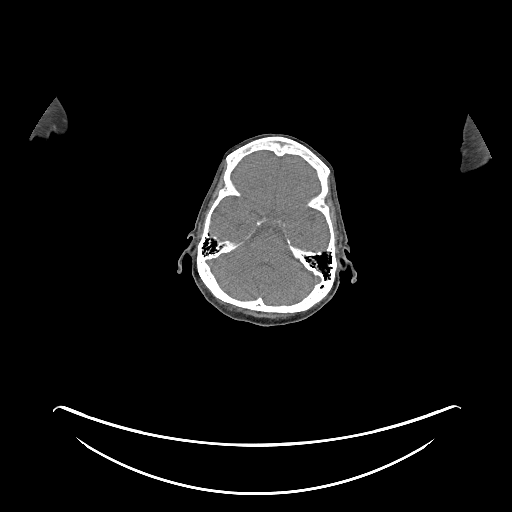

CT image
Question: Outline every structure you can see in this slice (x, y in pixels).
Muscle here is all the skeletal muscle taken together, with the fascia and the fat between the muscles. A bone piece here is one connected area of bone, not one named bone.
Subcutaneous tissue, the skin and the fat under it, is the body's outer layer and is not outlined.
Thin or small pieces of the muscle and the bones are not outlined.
Answer: brain: 259,151 301,158 320,186 305,205 323,216 327,244 313,250 285,239 292,256 317,279 303,297 291,303 267,303 260,295 236,297 220,285 211,268 214,259 243,243 212,233 212,216 224,198 241,195 232,172 with a hole at 263,217 264,217 265,217 266,218 266,219 266,220 265,221 264,221 263,222 262,223 261,224 260,225 259,225 258,226 257,225 256,224 256,223 257,222 257,221 258,220 259,220 260,219 261,218 262,218
head: 262,133 295,136 330,162 350,248 345,257 356,272 356,280 351,282 351,271 342,271 333,297 309,317 273,326 236,320 214,307 193,279 188,254 183,256 181,271 177,272 179,257 192,240 187,235 224,152
right arm: 55,97 58,97 59,100 65,109 65,111 68,117 68,129 67,132 63,135 58,135 55,133 52,133 49,137 46,146 43,148 43,141 41,139 36,137 31,141 29,141 29,138 38,121
bones: 269,136 281,136 299,142 321,159 330,170 325,202 329,208 333,227 337,268 328,293 309,309 300,312 257,311 225,302 212,294 200,278 196,267 197,245 203,232 206,215 224,185 226,156 250,141; inner edge: 259,151 301,158 320,186 305,205 323,216 327,244 313,250 285,239 292,256 317,279 303,297 291,303 267,303 260,295 236,297 220,285 211,268 214,259 243,243 212,233 212,216 224,198 241,195 232,172
muscle 1: 215,298 236,307 239,307 243,309 247,309 252,311 256,311 257,312 264,312 265,313 299,313 297,313 292,316 286,318 280,318 279,319 259,318 258,317 246,315 240,312 236,312 235,311 229,310 219,303
muscle 2: 330,175 331,175 331,192 332,193 332,200 333,201 333,204 335,207 335,213 336,214 337,223 341,234 341,246 337,255 336,253 336,238 334,232 334,227 330,215 330,208 326,202 326,197 329,191 329,178
muscle 3: 224,161 225,162 225,167 222,173 223,185 218,190 215,199 205,215 203,221 202,232 198,241 197,239 197,231 198,230 199,222 201,219 202,214 207,206 211,195 218,182 218,179 222,171 222,167
left arm: 467,114 470,116 471,119 479,131 479,133 483,141 485,143 485,145 487,147 487,149 489,152 490,160 482,167 480,167 475,170 466,173 461,173 460,172 460,153 459,152 459,148 462,142 462,129